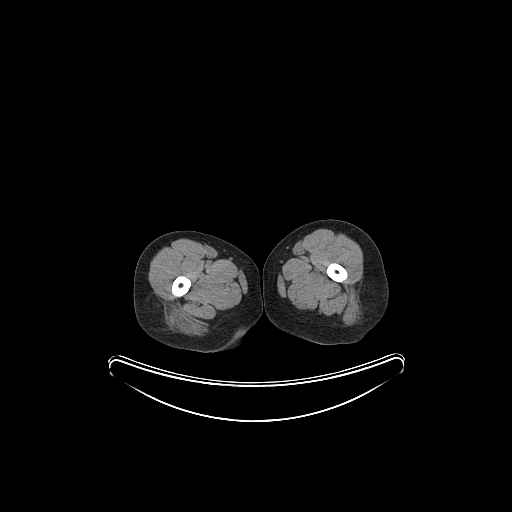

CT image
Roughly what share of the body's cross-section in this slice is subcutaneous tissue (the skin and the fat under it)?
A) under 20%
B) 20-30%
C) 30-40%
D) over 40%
D) over 40%
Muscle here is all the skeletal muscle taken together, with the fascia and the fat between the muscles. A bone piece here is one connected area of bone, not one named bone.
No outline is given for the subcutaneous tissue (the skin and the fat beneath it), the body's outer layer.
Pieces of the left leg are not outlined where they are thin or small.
The right leg is outlined by (176, 230) (195, 230) (221, 238) (242, 250) (256, 264) (261, 281) (262, 310) (259, 319) (247, 332) (245, 336) (246, 342) (238, 349) (215, 353) (203, 353) (173, 348) (160, 343) (150, 337) (138, 324) (133, 306) (133, 278) (138, 258) (144, 248) (156, 237) (164, 233). The bones appear in 2 outlined pieces: piece 1: (179, 275) (184, 275) (188, 278) (189, 278) (189, 279) (191, 281) (191, 285) (186, 293) (185, 293) (182, 296) (181, 296) (180, 297) (177, 297) (176, 296) (175, 296) (171, 292) (171, 285) (172, 284) (172, 282) (173, 281) (173, 280) (177, 276) (178, 276); piece 2: (331, 262) (335, 262) (336, 263) (338, 263) (339, 264) (340, 264) (342, 266) (343, 266) (347, 271) (347, 277) (342, 282) (338, 282) (337, 281) (335, 281) (334, 280) (333, 280) (331, 278) (330, 278) (328, 276) (328, 275) (326, 272) (326, 269) (327, 268) (327, 266). The left leg is outlined by (320, 219) (344, 220) (358, 226) (373, 239) (382, 257) (389, 287) (387, 308) (380, 321) (361, 340) (354, 343) (337, 345) (322, 345) (314, 343) (281, 330) (268, 319) (264, 311) (262, 313) (263, 292) (261, 275) (264, 262) (269, 253) (276, 244) (288, 233) (303, 224). The muscle appears in 2 outlined pieces: piece 1: (181, 237) (195, 238) (209, 242) (233, 255) (243, 266) (250, 282) (250, 289) (239, 305) (209, 333) (202, 337) (187, 336) (184, 334) (174, 333) (166, 329) (167, 328) (162, 319) (163, 312) (160, 299) (153, 292) (148, 280) (147, 271) (152, 255) (161, 245) (174, 238); inner edge: (179, 275) (184, 275) (188, 278) (189, 278) (189, 279) (191, 281) (191, 285) (186, 293) (185, 293) (182, 296) (181, 296) (180, 297) (177, 297) (176, 296) (175, 296) (171, 292) (171, 285) (172, 284) (172, 282) (173, 281) (173, 280) (177, 276) (178, 276); piece 2: (324, 227) (335, 227) (348, 232) (358, 241) (362, 250) (364, 268) (362, 278) (361, 301) (364, 311) (364, 317) (359, 327) (352, 328) (336, 327) (309, 320) (298, 314) (277, 294) (276, 291) (277, 273) (280, 263) (288, 251) (297, 241) (300, 240) (305, 235) (315, 229) with a hole at (331, 262) (335, 262) (336, 263) (338, 263) (339, 264) (340, 264) (342, 266) (343, 266) (347, 271) (347, 277) (342, 282) (338, 282) (337, 281) (335, 281) (334, 280) (333, 280) (331, 278) (330, 278) (328, 276) (328, 275) (326, 272) (326, 269) (327, 268) (327, 266).